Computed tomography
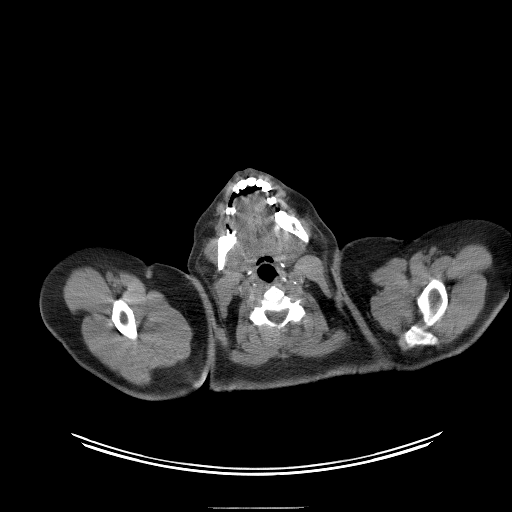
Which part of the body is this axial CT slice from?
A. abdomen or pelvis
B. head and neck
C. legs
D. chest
B. head and neck
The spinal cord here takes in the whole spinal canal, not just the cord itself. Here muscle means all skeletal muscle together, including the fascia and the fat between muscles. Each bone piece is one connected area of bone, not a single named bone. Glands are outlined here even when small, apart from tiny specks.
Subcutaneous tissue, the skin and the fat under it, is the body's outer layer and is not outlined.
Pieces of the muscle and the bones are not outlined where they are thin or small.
Outlines (x, y in pixels):
right arm: 87 246; 114 247; 140 258; 147 264; 159 262; 177 267; 192 275; 204 288; 208 295; 215 320; 215 335; 208 379; 193 393; 183 398; 167 401; 148 401; 127 395; 78 365; 47 329; 39 310; 39 292; 42 282; 58 261; 69 253
bones 1: 431 278; 439 279; 444 283; 448 300; 447 308; 442 318; 437 323; 426 329; 437 337; 438 343; 435 345; 416 345; 411 348; 404 349; 398 343; 403 333; 414 324; 419 326; 422 326; 424 324; 422 320; 422 316; 418 311; 416 299
bones 2: 273 284; 287 295; 293 295; 300 298; 305 311; 305 314; 299 322; 290 321; 285 326; 283 331; 279 331; 266 324; 257 326; 249 319; 249 313; 253 305; 253 301; 249 298; 249 296; 252 295; 255 300; 259 299; 262 297; 265 290, around a hole outlined by 283 310; 286 310; 287 311; 287 312; 286 313; 286 315; 285 316; 285 317; 280 322; 274 322; 273 321; 272 321; 271 320; 270 320; 266 314; 266 312; 267 311; 274 311; 275 312; 279 312; 280 311; 282 311
bones 3: 122 296; 123 296; 125 301; 133 311; 133 313; 134 314; 134 317; 136 320; 138 335; 135 341; 133 341; 127 338; 124 335; 123 335; 116 328; 116 327; 114 325; 111 319; 111 314; 112 313; 112 302; 113 300; 115 299; 117 299
bones 4: 250 176; 255 178; 262 176; 264 179; 265 178; 267 179; 273 187; 269 193; 271 195; 275 195; 279 199; 279 201; 272 205; 268 204; 266 201; 267 194; 256 186; 248 186; 237 194; 233 192; 230 189; 230 186; 239 180
bones 5: 278 210; 283 210; 290 215; 294 215; 300 221; 302 226; 308 234; 309 240; 307 243; 306 243; 304 241; 300 239; 293 233; 289 231; 286 231; 281 227; 279 227; 277 225; 275 213
bones 6: 227 228; 229 228; 232 230; 233 229; 235 230; 235 235; 236 236; 236 239; 237 241; 226 253; 226 260; 225 261; 225 263; 224 264; 224 267; 223 269; 221 270; 218 270; 217 268; 217 239; 222 234; 223 234; 225 232; 225 230
bones 7: 232 202; 233 202; 234 203; 234 204; 235 205; 235 208; 236 209; 236 210; 235 211; 235 212; 234 213; 234 214; 229 214; 228 215; 226 213; 226 212; 225 211; 225 210; 226 209; 226 208; 227 207; 227 206; 228 205; 229 205
spinal cord: 283 310; 286 310; 287 311; 287 312; 286 313; 286 315; 285 316; 285 317; 280 322; 274 322; 273 321; 272 321; 271 320; 270 320; 266 314; 266 312; 267 311; 274 311; 275 312; 279 312; 280 311; 282 311
muscle 1: 268 179; 285 190; 309 214; 326 238; 327 282; 333 302; 346 317; 351 343; 349 347; 324 357; 306 358; 292 355; 287 358; 272 358; 257 367; 224 364; 228 342; 195 261; 206 236; 206 225; 212 219; 217 204; 227 189; 229 187; 232 192; 229 204; 224 210; 228 216; 234 215; 237 210; 233 201; 236 194; 246 194; 255 188; 266 194; 265 201; 272 206; 280 199; 270 193; 274 187; inner edges: 273 284; 287 295; 293 295; 300 298; 305 311; 305 314; 299 322; 290 321; 285 326; 283 331; 279 331; 266 324; 257 326; 249 319; 249 313; 253 305; 253 301; 249 298; 249 296; 252 295; 255 300; 259 299; 262 297; 265 290, then 227 228; 235 230; 235 235; 237 241; 231 248; 233 249; 236 247; 238 247; 243 253; 243 263; 242 266; 240 269; 237 270; 227 268; 228 265; 226 260; 223 269; 218 270; 217 268; 217 239; 225 232; 225 230, then 278 210; 283 210; 290 215; 294 215; 300 221; 302 226; 308 234; 309 240; 307 243; 306 243; 304 241; 300 239; 293 233; 289 231; 286 231; 281 227; 279 227; 277 225; 275 213, then 290 235; 294 237; 297 240; 303 243; 304 244; 305 248; 303 252; 298 257; 298 258; 293 264; 291 264; 289 266; 284 266; 282 267; 281 266; 281 263; 282 263; 284 265; 285 264; 286 253; 287 252; 287 248; 288 247; 288 236, then 265 256; 269 256; 272 258; 273 260; 271 264; 273 266; 273 267; 275 268; 275 271; 277 272; 277 273; 275 274; 272 279; 271 279; 269 281; 267 281; 265 279; 260 277; 260 276; 258 275; 258 263; 257 261; 259 258; 262 258, then 200 266; 206 266; 207 267; 208 267; 210 269; 210 272; 209 273; 204 273; 202 271; 202 269; 201 268; 201 267
muscle 2: 82 265; 123 269; 135 274; 149 288; 161 291; 169 303; 185 317; 193 330; 193 350; 185 363; 178 363; 158 375; 148 385; 138 386; 117 375; 94 357; 86 348; 81 338; 78 321; 69 312; 62 297; 62 285; 65 278; 72 268 with a hole at 122 296; 123 296; 125 301; 133 311; 133 313; 134 314; 134 317; 136 320; 138 335; 135 341; 133 341; 127 338; 124 335; 123 335; 116 328; 116 327; 114 325; 111 319; 111 314; 112 313; 112 302; 113 300; 115 299; 117 299
muscle 3: 476 241; 493 256; 479 317; 453 341; 435 346; 439 339; 427 329; 443 318; 449 300; 445 283; 431 277; 415 299; 423 324; 412 324; 397 341; 411 349; 398 349; 396 337; 370 314; 375 288; 370 271; 394 256; 434 245; 456 250
muscle 4: 248 174; 257 174; 259 175; 258 177; 255 177; 252 175; 250 175; 249 176; 247 176; 246 177; 241 178; 239 179; 236 182; 230 185; 232 183; 232 182; 237 177; 239 176; 244 176
head and neck: 248 167; 276 177; 300 192; 313 204; 337 240; 339 246; 337 270; 342 291; 357 317; 353 330; 342 349; 327 360; 297 372; 286 374; 259 372; 216 347; 214 345; 216 320; 209 295; 202 284; 186 271; 197 219; 230 177; 236 171, around holes outlined by 265 256; 269 256; 272 258; 273 260; 271 264; 273 266; 273 267; 275 268; 275 271; 277 272; 277 273; 275 274; 272 279; 271 279; 269 281; 267 281; 265 279; 260 277; 260 276; 258 275; 258 263; 257 261; 259 258; 262 258 and by 248 187; 256 187; 255 187; 252 190; 251 190; 250 191; 249 191; 248 192; 247 192; 246 193; 243 193; 242 192; 240 192; 241 191; 242 191; 243 190; 244 190; 246 188; 247 188
torso: 358 319; 367 328; 377 332; 425 337; 456 346; 470 347; 458 355; 414 371; 392 370; 367 375; 341 376; 315 383; 273 390; 215 393; 207 387; 213 363; 214 346; 245 367; 259 373; 266 375; 297 373; 327 361; 342 350; 352 334
parotid glands: 200 266; 206 266; 207 267; 208 267; 210 269; 210 272; 209 273; 204 273; 202 271; 202 269; 201 268; 201 267
submandibular glands 1: 290 235; 294 237; 297 240; 303 243; 304 244; 304 246; 305 248; 303 252; 298 257; 298 258; 293 264; 291 264; 289 266; 285 266; 285 259; 286 258; 286 253; 287 252; 287 248; 288 247; 288 236
submandibular glands 2: 236 247; 238 247; 239 249; 241 250; 241 251; 243 253; 243 263; 242 264; 242 266; 240 269; 238 269; 237 270; 235 270; 234 269; 231 269; 230 268; 227 268; 227 266; 228 265; 227 264; 227 253; 228 253; 232 249
left arm: 463 218; 483 218; 497 222; 508 229; 511 238; 511 272; 509 275; 508 297; 481 337; 472 346; 464 346; 425 336; 386 333; 367 327; 358 318; 344 294; 338 270; 339 247; 350 240; 363 236; 377 235; 409 240; 414 239; 437 225